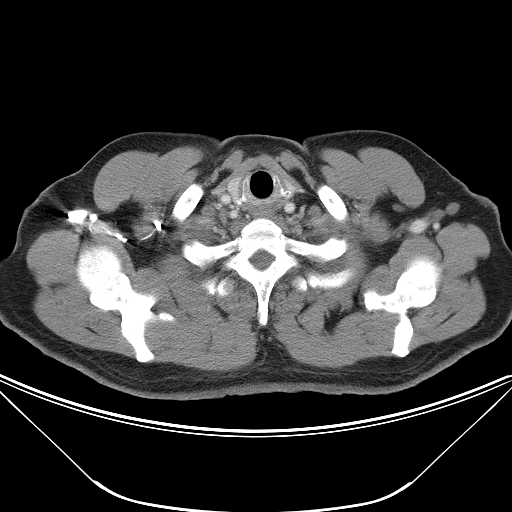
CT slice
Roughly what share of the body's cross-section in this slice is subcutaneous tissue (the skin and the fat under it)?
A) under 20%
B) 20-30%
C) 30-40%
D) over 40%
B) 20-30%
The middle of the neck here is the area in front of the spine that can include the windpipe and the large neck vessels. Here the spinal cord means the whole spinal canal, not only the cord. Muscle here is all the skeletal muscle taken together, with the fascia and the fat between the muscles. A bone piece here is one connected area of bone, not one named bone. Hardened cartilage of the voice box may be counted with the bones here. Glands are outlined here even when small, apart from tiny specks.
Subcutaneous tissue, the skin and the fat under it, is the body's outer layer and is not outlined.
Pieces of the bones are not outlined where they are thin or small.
spinal cord: (259, 250) (263, 250) (264, 251) (265, 251) (266, 252) (269, 253) (271, 255) (272, 255) (273, 256) (273, 260) (270, 263) (270, 264) (267, 267) (266, 267) (263, 269) (259, 269) (258, 268) (256, 268) (252, 264) (252, 263) (250, 261) (250, 258) (257, 251) (258, 251)
middle of the neck: (257, 166) (269, 168) (280, 176) (285, 188) (280, 187) (281, 196) (290, 198) (296, 188) (303, 194) (295, 210) (279, 223) (265, 216) (249, 222) (235, 220) (211, 205) (214, 192) (226, 184) (232, 200) (242, 206) (246, 200) (243, 192) (239, 196) (242, 178) (245, 172)
right arm: (56, 180) (71, 185) (91, 196) (122, 225) (127, 234) (131, 248) (130, 272) (127, 282) (123, 290) (117, 296) (108, 302) (94, 308) (64, 316) (55, 317) (28, 325) (6, 327) (0, 322) (0, 258) (7, 254) (14, 245) (17, 227) (23, 210) (44, 188)
bones 1: (258, 217) (301, 241) (320, 244) (335, 236) (348, 243) (341, 255) (322, 263) (299, 255) (300, 266) (272, 287) (265, 325) (258, 322) (257, 294) (250, 282) (235, 270) (223, 269) (222, 259) (202, 268) (181, 253) (182, 244) (192, 239) (205, 245) (229, 241) with a hole at (259, 250) (263, 250) (264, 251) (265, 251) (266, 252) (269, 253) (271, 255) (272, 255) (273, 256) (273, 260) (270, 263) (270, 264) (267, 267) (266, 267) (263, 269) (259, 269) (258, 268) (256, 268) (252, 264) (252, 263) (250, 261) (250, 258) (257, 251) (258, 251)
bones 2: (99, 245) (107, 246) (118, 256) (121, 269) (134, 290) (156, 296) (150, 308) (154, 313) (167, 312) (175, 318) (147, 324) (145, 342) (154, 355) (149, 362) (135, 358) (133, 347) (122, 334) (120, 313) (92, 304) (89, 293) (77, 279) (75, 267) (80, 252)
bones 3: (420, 255) (430, 257) (439, 265) (440, 279) (436, 295) (429, 304) (408, 309) (407, 315) (413, 328) (408, 347) (410, 351) (405, 356) (398, 357) (391, 353) (391, 349) (394, 327) (399, 315) (383, 309) (367, 310) (363, 293) (368, 289) (382, 295) (390, 293) (408, 262)
bones 4: (347, 268) (349, 268) (353, 270) (354, 274) (346, 283) (339, 287) (323, 289) (319, 287) (313, 288) (309, 286) (305, 291) (300, 291) (296, 289) (291, 284) (291, 279) (294, 276) (296, 275) (304, 276) (306, 272) (310, 270) (313, 270) (319, 273) (335, 273)
bones 5: (194, 182) (200, 183) (202, 185) (202, 187) (203, 188) (204, 192) (201, 196) (200, 199) (198, 201) (197, 204) (193, 209) (193, 210) (182, 221) (179, 221) (173, 218) (172, 216) (172, 210) (174, 207) (174, 205) (176, 203) (177, 200) (180, 197) (182, 193) (192, 183)
bones 6: (322, 183) (324, 183) (328, 185) (333, 190) (334, 190) (343, 201) (346, 207) (346, 209) (347, 210) (347, 216) (346, 218) (343, 221) (339, 221) (337, 220) (328, 211) (328, 210) (325, 207) (325, 206) (319, 198) (318, 195) (316, 193) (316, 189) (318, 187) (318, 186)
bones 7: (213, 276) (217, 276) (219, 278) (222, 278) (223, 277) (229, 277) (233, 279) (234, 280) (234, 287) (233, 289) (227, 295) (225, 295) (224, 296) (220, 296) (217, 293) (215, 293) (214, 294) (209, 294) (200, 286) (200, 282) (202, 280) (206, 278) (209, 278)
muscle: (188, 144) (210, 156) (234, 147) (303, 156) (321, 147) (395, 151) (487, 235) (485, 312) (467, 330) (411, 351) (408, 311) (435, 299) (442, 273) (420, 254) (393, 290) (362, 293) (367, 311) (398, 315) (395, 356) (303, 365) (262, 329) (255, 361) (238, 370) (150, 362) (148, 324) (176, 318) (154, 312) (157, 296) (134, 289) (119, 256) (99, 244) (79, 252) (74, 273) (92, 305) (119, 313) (134, 358) (62, 338) (32, 310) (29, 245) (116, 154) with holes at (257, 166) (303, 194) (277, 224) (285, 235) (312, 244) (332, 236) (348, 243) (322, 263) (299, 255) (300, 266) (272, 287) (265, 325) (258, 322) (250, 282) (223, 269) (222, 259) (202, 268) (181, 253) (192, 239) (215, 245) (240, 233) (247, 223) (220, 213) (211, 197) and at (347, 268) (349, 268) (353, 270) (354, 274) (346, 283) (339, 287) (323, 289) (319, 287) (313, 288) (309, 286) (305, 291) (300, 291) (296, 289) (291, 284) (291, 279) (294, 276) (296, 275) (304, 276) (306, 272) (310, 270) (313, 270) (319, 273) (335, 273) and at (194, 182) (200, 183) (202, 185) (202, 187) (203, 188) (204, 192) (201, 196) (200, 199) (198, 201) (197, 204) (193, 209) (193, 210) (182, 221) (179, 221) (173, 218) (172, 216) (172, 210) (174, 207) (174, 205) (176, 203) (177, 200) (180, 197) (182, 193) (192, 183) and at (322, 183) (324, 183) (328, 185) (333, 190) (334, 190) (343, 201) (346, 207) (346, 209) (347, 210) (347, 216) (346, 218) (343, 221) (339, 221) (337, 220) (328, 211) (328, 210) (325, 207) (325, 206) (319, 198) (318, 195) (316, 193) (316, 189) (318, 187) (318, 186) and at (213, 276) (217, 276) (219, 278) (222, 278) (223, 277) (229, 277) (233, 279) (234, 280) (234, 287) (233, 289) (227, 295) (225, 295) (224, 296) (220, 296) (217, 293) (215, 293) (214, 294) (209, 294) (200, 286) (200, 282) (202, 280) (206, 278) (209, 278)
thyroid glands 1: (241, 172) (244, 172) (244, 173) (241, 178) (241, 180) (240, 181) (240, 183) (239, 184) (239, 192) (238, 193) (238, 196) (236, 198) (235, 201) (234, 201) (231, 197) (230, 194) (228, 192) (228, 190) (227, 189) (227, 182) (230, 178) (231, 178) (232, 177) (239, 174)
thyroid glands 2: (281, 177) (284, 177) (285, 178) (286, 178) (288, 180) (289, 180) (295, 186) (295, 192) (290, 197) (289, 197) (289, 195) (290, 194) (290, 192) (288, 189) (286, 189) (286, 188) (285, 187) (285, 186) (284, 185) (284, 184) (282, 181) (282, 178)
torso: (348, 129) (392, 132) (427, 153) (398, 181) (386, 211) (388, 279) (406, 293) (458, 306) (511, 298) (511, 321) (495, 340) (388, 394) (172, 400) (102, 385) (7, 328) (88, 311) (124, 290) (132, 259) (125, 228) (91, 195) (57, 180) (108, 142) (148, 130) (301, 142)
left arm: (427, 154) (437, 160) (454, 176) (464, 182) (473, 192) (486, 196) (497, 205) (500, 214) (501, 229) (505, 241) (511, 248) (510, 298) (493, 305) (458, 305) (424, 298) (406, 292) (397, 287) (387, 276) (382, 260) (382, 234) (387, 211) (393, 193) (399, 181) (414, 164)